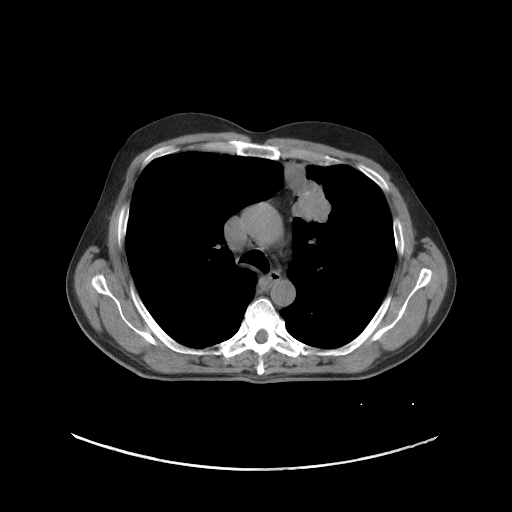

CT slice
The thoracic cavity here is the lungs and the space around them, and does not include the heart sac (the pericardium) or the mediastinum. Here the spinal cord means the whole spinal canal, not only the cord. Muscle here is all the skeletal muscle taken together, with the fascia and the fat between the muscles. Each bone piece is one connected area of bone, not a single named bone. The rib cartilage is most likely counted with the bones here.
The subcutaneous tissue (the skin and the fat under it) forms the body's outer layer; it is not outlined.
{"muscle":[[[273,137],[297,138],[323,143],[363,155],[380,164],[388,172],[390,180],[406,203],[415,238],[428,236],[445,259],[448,283],[444,297],[427,331],[399,352],[388,356],[366,370],[355,373],[288,374],[274,372],[262,375],[266,371],[264,356],[271,350],[293,358],[300,355],[335,357],[349,354],[369,337],[372,342],[378,340],[398,322],[411,297],[417,290],[426,286],[432,277],[432,270],[423,266],[396,316],[391,322],[376,330],[390,305],[392,295],[387,293],[388,289],[397,255],[401,257],[405,247],[402,223],[397,216],[392,216],[384,193],[390,190],[388,183],[376,170],[362,162],[357,162],[352,166],[339,158],[307,148],[291,147],[281,150],[277,145],[261,143]],[[226,131],[244,134],[252,141],[232,138],[207,141],[191,145],[189,149],[181,151],[179,151],[179,146],[169,143],[150,151],[141,161],[141,171],[135,181],[130,200],[119,209],[116,240],[120,248],[124,245],[133,282],[128,286],[128,293],[150,331],[137,328],[126,318],[119,300],[110,290],[102,273],[94,274],[90,283],[98,293],[112,299],[121,319],[150,344],[154,346],[158,344],[155,337],[177,353],[197,356],[221,355],[225,359],[250,350],[257,355],[255,371],[258,375],[239,372],[161,373],[138,363],[97,334],[77,301],[74,289],[75,269],[81,256],[91,245],[97,246],[104,256],[108,256],[109,217],[124,183],[127,169],[139,153],[161,141],[177,136]]],"mediastinum":[[[287,158],[305,163],[289,163],[286,170],[288,182],[297,196],[291,208],[292,257],[287,269],[296,294],[292,303],[278,312],[269,298],[253,299],[257,277],[235,263],[231,250],[225,245],[223,226],[247,205],[269,198],[282,187],[284,167],[278,160]]],"spinal_cord":[[[260,330],[264,330],[266,332],[266,333],[267,334],[267,337],[266,338],[266,340],[264,342],[262,342],[261,343],[260,343],[259,342],[258,342],[256,340],[256,339],[255,338],[255,336],[256,335],[256,334],[258,332],[258,331],[259,331]]],"thoracic_cavity":[[[188,150],[268,159],[278,161],[283,167],[283,181],[277,191],[265,199],[247,204],[223,223],[224,245],[230,250],[234,263],[256,277],[254,294],[237,330],[230,337],[198,348],[178,342],[154,319],[136,290],[125,249],[130,201],[142,170],[155,159]],[[306,161],[318,166],[347,164],[354,167],[380,188],[392,217],[396,261],[387,292],[363,329],[348,342],[333,348],[321,348],[297,339],[287,330],[279,313],[293,303],[297,294],[288,269],[293,257],[292,208],[298,196],[289,182],[287,170],[289,164]]],"torso":[[[186,111],[221,116],[254,131],[295,121],[320,120],[374,137],[402,168],[433,218],[456,271],[450,310],[425,345],[402,363],[361,380],[265,384],[148,379],[102,352],[82,331],[70,309],[65,292],[69,262],[98,202],[112,160],[128,136],[153,120]]],"bones":[{"outer":[[423,267],[431,270],[429,281],[378,339],[369,336],[349,353],[335,356],[293,357],[271,349],[263,356],[261,375],[256,371],[258,355],[250,349],[225,358],[177,352],[155,336],[157,344],[150,343],[122,319],[113,299],[91,283],[94,275],[102,274],[125,318],[149,332],[130,296],[132,283],[158,325],[190,348],[230,338],[248,305],[265,297],[294,338],[333,349],[364,329],[387,294],[391,299],[375,330],[391,323]],"hole":[[260,330],[264,330],[266,332],[266,333],[267,334],[267,337],[266,338],[266,340],[264,342],[262,342],[261,343],[260,343],[259,342],[258,342],[256,340],[256,339],[255,338],[255,336],[256,335],[256,334],[258,332],[258,331],[259,331]]},[[232,139],[274,145],[277,146],[281,151],[287,151],[291,148],[307,149],[339,159],[344,163],[318,165],[295,157],[287,157],[274,160],[255,156],[243,156],[233,153],[232,154],[225,152],[221,153],[190,149],[191,146],[197,146],[207,142],[227,141]],[[129,201],[129,212],[128,213],[128,218],[127,219],[127,225],[126,226],[126,231],[125,232],[124,244],[122,246],[122,247],[120,247],[118,244],[118,241],[117,240],[117,223],[118,222],[118,215],[119,214],[121,207],[126,202],[128,202]],[[169,144],[173,144],[179,147],[179,150],[178,151],[173,153],[170,153],[169,154],[167,154],[157,158],[155,158],[150,161],[142,169],[141,168],[141,164],[142,163],[142,161],[150,152],[156,148],[158,148],[164,145],[168,145]],[[357,163],[362,163],[363,164],[370,167],[372,169],[373,169],[375,171],[376,171],[385,180],[385,181],[388,185],[389,190],[387,192],[384,192],[381,189],[381,188],[374,181],[373,181],[364,173],[363,173],[360,170],[359,170],[355,167],[355,166]],[[393,217],[397,217],[399,219],[401,223],[401,225],[402,226],[402,233],[403,234],[403,239],[404,240],[404,247],[403,248],[403,254],[401,256],[399,256],[397,254],[397,252],[396,251],[396,248],[395,247],[395,240],[394,239],[394,231],[393,230]]]}